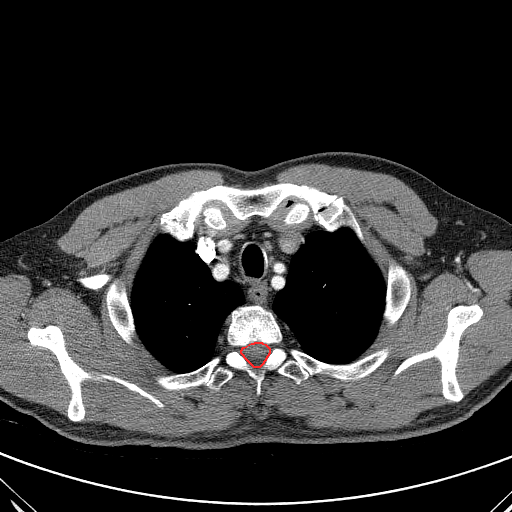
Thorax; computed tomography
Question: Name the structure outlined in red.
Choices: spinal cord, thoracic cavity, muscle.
Answer: red: spinal cord.
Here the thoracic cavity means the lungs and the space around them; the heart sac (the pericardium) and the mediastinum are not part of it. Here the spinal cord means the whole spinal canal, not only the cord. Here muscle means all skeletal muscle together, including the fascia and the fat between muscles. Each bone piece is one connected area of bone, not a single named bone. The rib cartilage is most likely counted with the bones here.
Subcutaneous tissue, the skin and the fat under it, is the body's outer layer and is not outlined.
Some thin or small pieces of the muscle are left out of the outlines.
spinal cord: 255,342 261,342 262,343 265,344 269,348 269,353 268,354 268,355 266,357 266,358 265,359 265,360 263,362 263,363 259,367 254,367 244,357 244,356 241,353 241,350 243,347 244,347 251,343 254,343
bones 1: 243,305 270,310 293,347 326,363 350,363 386,346 391,351 373,372 356,380 318,373 298,384 272,370 257,395 255,381 245,371 234,369 232,377 217,390 204,384 167,390 155,377 191,372 221,354 225,321 with a hole at 255,342 261,342 262,343 265,344 269,348 269,353 268,354 268,355 266,357 266,358 265,359 265,360 263,362 263,363 259,367 254,367 244,357 244,356 241,353 241,350 243,347 244,347 251,343 254,343
bones 2: 277,182 306,184 342,197 356,218 371,254 350,228 327,231 311,213 302,222 285,224 282,219 286,211 282,206 268,217 253,215 219,230 198,219 193,236 183,241 160,232 161,215 194,191 216,185 256,187
bones 3: 459,304 478,304 483,311 479,320 469,325 463,331 459,341 456,377 464,394 462,399 453,402 442,395 440,363 434,357 412,364 392,378 395,370 404,360 415,354 427,351 436,345 446,330 448,312 451,308
bones 4: 49,324 59,327 68,354 84,370 113,375 133,383 164,406 160,408 148,398 112,380 84,380 81,383 81,391 85,415 81,421 70,420 67,407 71,390 56,356 47,348 32,345 27,337 31,326 44,327
bones 5: 394,263 400,265 405,270 405,272 409,277 410,280 411,291 408,302 399,318 393,324 387,325 385,323 382,323 382,318 383,317 382,316 385,307 385,297 386,296 386,277 388,273 388,268 389,266
bones 6: 116,285 120,285 124,288 125,292 128,297 129,305 133,316 133,321 135,325 136,336 132,340 132,343 131,344 127,343 119,335 117,331 112,325 109,318 108,309 107,308 107,296 109,293 110,289
thoracic cavity 1: 344,227 354,233 381,271 385,280 384,307 381,324 376,329 377,335 360,357 346,363 330,363 317,359 293,346 287,340 280,323 271,310 271,306 276,293 286,284 291,258 305,242 306,235 322,228 332,233
thoracic cavity 2: 160,233 179,242 193,242 195,253 207,265 213,278 218,282 232,280 244,293 245,304 234,308 224,321 225,328 220,336 217,354 203,365 187,372 174,373 167,369 144,347 137,335 129,300 136,272 152,240
mediastinum: 256,220 279,230 305,230 311,228 314,223 316,226 321,227 306,234 304,242 291,256 285,284 275,293 270,309 260,304 246,304 245,293 234,280 216,280 208,265 196,253 194,242 188,240 194,235 230,233
torso: 325,151 360,152 399,162 447,191 511,223 511,381 470,417 436,432 393,441 246,443 223,449 184,450 77,442 0,401 0,241 44,222 73,199 100,184 147,168 180,162 210,162 243,170 257,170 284,160
muscle 1: 312,162 384,172 415,191 438,220 415,263 415,277 420,282 445,271 459,272 473,252 511,250 511,360 463,399 457,377 460,341 464,331 484,314 478,303 451,307 435,345 407,357 394,370 394,379 412,365 436,359 441,395 453,403 421,412 400,427 314,428 292,417 271,416 169,437 80,422 86,415 84,381 112,381 160,409 165,405 133,382 84,369 69,354 60,327 51,323 31,325 26,337 32,346 55,356 70,390 67,417 0,387 0,276 25,275 35,290 73,282 79,269 56,240 91,203 182,170 217,170 229,183 254,184 271,181 288,167, around a hole outlined by 277,182 342,197 383,278 394,263 405,270 404,310 360,356 389,355 356,380 318,373 298,384 272,370 260,395 238,369 217,390 165,389 155,377 174,373 137,335 119,335 110,289 130,296 161,215 192,192
muscle 2: 280,207 282,207 285,211 281,219 281,221 285,225 295,225 302,223 307,220 311,214 313,220 319,226 316,225 314,222 311,227 305,229 279,229 272,227 260,219 256,219 249,221 244,226 236,230 223,234 194,234 195,223 198,220 201,220 202,223 209,229 219,231 235,226 239,224 240,222 245,221 253,216 260,216 264,218 268,218